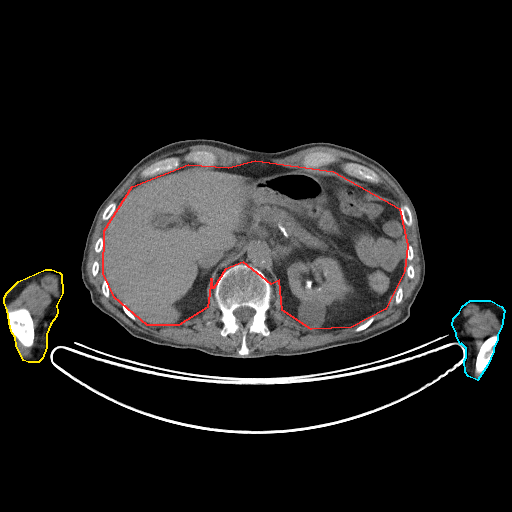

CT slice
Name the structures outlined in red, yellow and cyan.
red: abdominal cavity; yellow: right arm; cyan: left arm.
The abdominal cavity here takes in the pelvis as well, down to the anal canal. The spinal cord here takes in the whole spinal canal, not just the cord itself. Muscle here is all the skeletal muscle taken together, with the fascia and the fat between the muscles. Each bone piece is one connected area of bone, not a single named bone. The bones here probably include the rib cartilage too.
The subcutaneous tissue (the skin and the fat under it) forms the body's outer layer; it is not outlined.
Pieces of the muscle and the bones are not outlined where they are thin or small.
{"abdominal_cavity":[[[255,160],[333,171],[399,208],[407,245],[404,271],[385,309],[351,327],[311,329],[282,310],[279,280],[271,284],[243,262],[225,269],[213,288],[211,278],[207,307],[178,325],[147,325],[114,297],[103,273],[104,230],[132,186],[188,164],[228,167]]],"right_arm":[[[45,269],[51,269],[59,272],[61,274],[62,293],[56,305],[57,311],[56,316],[50,324],[46,334],[46,347],[42,358],[38,362],[28,362],[23,360],[16,345],[15,337],[12,333],[10,327],[7,310],[4,302],[4,297],[7,292],[18,281]]],"left_arm":[[[470,300],[490,300],[501,306],[504,310],[501,327],[497,334],[497,339],[493,348],[493,351],[487,365],[477,380],[468,376],[465,372],[464,360],[466,357],[466,348],[461,343],[460,344],[456,335],[456,332],[452,325],[453,318],[459,312],[462,306]]],"muscle":[{"outer":[[201,144],[248,156],[270,158],[283,158],[301,150],[323,146],[352,154],[384,172],[403,193],[410,205],[418,247],[419,280],[405,301],[400,316],[391,323],[364,334],[321,345],[294,350],[284,348],[267,352],[256,350],[250,353],[247,345],[248,333],[263,336],[270,334],[266,320],[271,306],[272,285],[275,279],[280,283],[281,310],[301,326],[322,332],[334,332],[355,326],[357,326],[354,329],[355,332],[366,329],[374,321],[373,315],[382,312],[388,306],[390,296],[404,275],[406,258],[409,261],[414,258],[413,247],[407,244],[404,238],[405,225],[409,227],[413,224],[413,215],[407,204],[402,204],[378,184],[381,179],[373,169],[354,161],[345,161],[341,169],[338,169],[329,165],[337,160],[336,156],[329,151],[321,150],[306,153],[301,159],[300,167],[288,167],[259,159],[238,165],[216,165],[218,159],[212,151],[190,150],[182,159],[191,163],[180,166],[181,158],[176,155],[154,161],[140,172],[139,175],[142,179],[132,185],[117,203],[112,201],[105,207],[112,196],[142,165],[162,154]],"holes":[[[399,287],[401,287],[402,288],[402,292],[403,293],[403,294],[402,295],[402,299],[401,300],[401,301],[398,304],[396,304],[395,303],[395,295],[396,294],[396,291],[397,290],[397,289]],[[410,264],[411,265],[412,265],[412,266],[413,267],[413,269],[414,270],[414,276],[413,277],[413,278],[410,278],[407,275],[407,273],[406,272],[406,269],[407,268],[407,267]]]},{"outer":[[103,209],[101,218],[106,221],[103,237],[100,236],[93,247],[96,253],[101,252],[104,278],[100,287],[101,293],[106,298],[111,294],[133,321],[137,319],[147,326],[159,329],[178,326],[200,317],[209,305],[206,296],[211,279],[213,296],[221,313],[220,334],[225,337],[239,330],[241,332],[241,343],[237,353],[224,351],[218,347],[177,343],[141,332],[124,322],[100,301],[95,286],[89,281],[86,264],[96,223]],"hole":[[96,260],[97,261],[98,261],[98,262],[99,263],[99,270],[98,271],[98,272],[97,273],[97,274],[95,276],[94,276],[92,274],[92,265],[93,264],[93,263],[94,262],[94,261],[95,261]]},[[48,273],[55,275],[58,279],[58,291],[40,325],[38,339],[32,354],[30,357],[24,358],[20,354],[15,337],[26,348],[30,348],[34,344],[35,325],[33,317],[30,311],[25,307],[18,307],[7,310],[5,304],[16,297],[30,282],[39,276]],[[470,303],[473,303],[482,308],[489,308],[496,314],[501,321],[501,327],[499,330],[499,332],[486,337],[481,343],[475,356],[474,368],[473,369],[474,375],[472,371],[472,361],[474,356],[474,345],[473,342],[465,334],[463,327],[463,308],[467,304]]],"mediastinum":[[[322,166],[329,166],[338,170],[341,170],[346,174],[357,179],[377,184],[381,186],[384,190],[387,191],[392,197],[396,198],[401,204],[399,207],[391,199],[379,195],[365,183],[357,181],[353,178],[342,173],[329,169],[320,168],[319,167]]],"spinal_cord":[[[242,306],[246,306],[247,307],[249,307],[250,308],[252,308],[254,310],[254,314],[252,316],[251,319],[249,321],[246,321],[245,322],[242,322],[241,321],[238,321],[233,312],[234,311],[234,310],[235,310],[237,308],[238,308],[239,307],[241,307]]],"bones":[{"outer":[[238,263],[250,264],[260,270],[272,289],[270,306],[266,312],[265,320],[269,334],[248,332],[246,345],[249,353],[244,356],[238,354],[242,343],[242,332],[239,329],[225,336],[221,334],[223,323],[220,317],[222,313],[214,296],[218,278],[225,270]],"hole":[[242,306],[246,306],[247,307],[249,307],[250,308],[252,308],[254,310],[254,314],[252,316],[251,319],[249,321],[246,321],[245,322],[242,322],[241,321],[238,321],[233,312],[234,311],[234,310],[235,310],[237,308],[238,308],[239,307],[241,307]]},[[18,308],[25,308],[27,309],[29,311],[33,320],[33,324],[34,325],[34,337],[33,338],[33,344],[30,347],[26,347],[24,346],[12,333],[12,331],[10,327],[10,324],[9,323],[9,320],[8,319],[7,311],[9,310],[11,311]],[[495,334],[497,334],[497,339],[496,340],[495,345],[493,348],[493,351],[489,358],[489,361],[487,363],[487,365],[483,370],[482,373],[479,376],[477,376],[475,375],[474,373],[475,362],[476,361],[476,356],[477,355],[477,353],[484,340],[486,338]],[[173,156],[176,156],[180,158],[180,165],[179,167],[169,171],[166,171],[162,173],[158,173],[156,175],[154,175],[153,176],[150,176],[145,178],[142,178],[141,177],[140,174],[146,167],[149,166],[156,161],[158,161],[168,157],[172,157]],[[345,162],[354,162],[355,163],[358,163],[373,170],[378,175],[380,179],[380,181],[378,183],[374,183],[373,182],[371,182],[367,180],[364,180],[363,179],[360,179],[359,178],[357,178],[354,176],[352,176],[346,173],[342,170],[342,166]],[[317,151],[321,151],[322,152],[329,152],[333,154],[335,156],[336,158],[336,160],[330,163],[328,165],[322,165],[318,167],[312,167],[311,168],[304,168],[302,166],[302,164],[301,163],[303,157],[306,154],[308,153],[310,153],[311,152],[316,152]],[[196,150],[205,150],[206,151],[212,152],[216,156],[216,158],[217,159],[216,160],[216,163],[215,165],[213,165],[212,166],[205,166],[204,165],[200,165],[197,163],[192,163],[191,162],[185,161],[183,159],[183,157],[188,152],[190,151],[195,151]],[[403,204],[405,204],[408,206],[408,207],[410,209],[410,211],[411,212],[411,214],[412,215],[412,224],[409,226],[408,225],[406,225],[404,223],[404,222],[402,220],[402,218],[400,215],[400,207],[401,206],[401,205],[402,205]],[[112,202],[114,202],[116,204],[116,205],[115,206],[115,209],[114,210],[114,211],[113,212],[113,213],[111,215],[111,216],[108,219],[107,219],[106,220],[104,220],[102,218],[102,214],[103,213],[103,211],[104,210],[104,209],[110,203],[111,203]],[[372,316],[374,318],[374,319],[373,320],[373,321],[366,328],[365,328],[364,329],[363,329],[362,330],[361,330],[360,331],[355,331],[355,329],[359,325],[360,325],[361,324],[362,324],[363,323],[364,323],[370,317],[371,317]],[[122,304],[125,304],[125,305],[127,307],[127,308],[129,310],[129,311],[130,312],[131,312],[131,313],[132,314],[133,314],[133,315],[136,318],[136,320],[133,320],[130,317],[129,317],[125,313],[125,312],[123,310],[123,308],[122,307]]],"torso":[[[198,138],[266,152],[309,142],[330,142],[357,150],[384,166],[414,205],[425,260],[424,281],[410,308],[409,317],[394,328],[361,342],[297,355],[244,359],[152,343],[133,336],[99,310],[91,301],[80,270],[86,237],[98,207],[141,158],[166,144]]]}